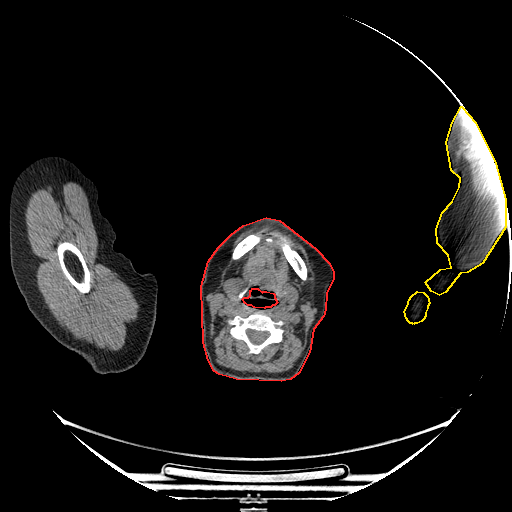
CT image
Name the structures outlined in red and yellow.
red: head and neck; yellow: left arm.
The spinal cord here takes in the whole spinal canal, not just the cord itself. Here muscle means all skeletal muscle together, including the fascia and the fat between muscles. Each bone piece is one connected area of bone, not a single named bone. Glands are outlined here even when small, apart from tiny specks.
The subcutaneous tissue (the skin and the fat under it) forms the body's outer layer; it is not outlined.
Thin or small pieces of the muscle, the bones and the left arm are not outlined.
{"head_and_neck":[{"outer":[[266,217],[279,220],[315,248],[329,263],[333,272],[333,278],[326,293],[325,309],[323,316],[313,329],[309,352],[298,373],[290,379],[281,381],[236,379],[219,374],[214,371],[208,360],[203,342],[201,286],[208,261],[218,247],[231,234],[243,225]],"hole":[[252,288],[257,288],[262,292],[263,291],[266,291],[273,293],[274,294],[274,297],[277,302],[274,305],[272,305],[270,307],[265,307],[264,308],[254,307],[251,305],[248,305],[245,303],[242,299],[244,297],[248,297],[250,295],[250,290],[251,290]]}],"left_arm":[[[461,106],[475,122],[495,163],[505,199],[505,227],[482,263],[467,272],[460,273],[445,292],[439,295],[431,291],[425,282],[440,269],[451,267],[448,255],[437,243],[436,229],[442,212],[452,201],[459,187],[460,178],[451,170],[446,142],[452,122]],[[417,291],[423,292],[427,296],[429,303],[427,306],[427,308],[425,312],[425,316],[423,319],[421,321],[417,323],[414,323],[413,324],[412,323],[410,323],[408,321],[406,318],[404,311],[408,304],[408,301],[409,299],[411,296]]],"muscle":[{"outer":[[66,179],[78,182],[85,190],[98,236],[99,253],[105,264],[118,273],[131,288],[139,303],[138,317],[127,326],[125,343],[118,350],[98,348],[75,339],[66,332],[46,307],[37,286],[38,260],[27,239],[24,219],[26,202],[36,186],[58,183]],"hole":[[61,241],[68,241],[73,243],[79,249],[80,252],[82,254],[85,263],[88,269],[90,271],[90,276],[91,277],[90,290],[87,293],[81,293],[79,292],[78,290],[70,283],[63,273],[61,269],[61,266],[57,254],[57,245],[58,243]]},{"outer":[[263,225],[270,225],[284,231],[290,234],[296,241],[301,244],[313,262],[316,274],[315,305],[317,307],[317,312],[308,332],[306,346],[301,356],[295,363],[295,365],[291,369],[280,373],[248,372],[247,371],[243,372],[232,370],[219,365],[215,361],[213,346],[209,335],[210,334],[210,314],[206,296],[212,290],[216,282],[219,269],[226,258],[228,250],[234,240],[241,233],[252,227],[260,227]],"holes":[[[257,310],[262,310],[274,321],[281,320],[284,323],[282,326],[284,331],[280,342],[268,344],[258,354],[250,354],[248,353],[249,349],[247,344],[243,340],[236,339],[230,334],[230,329],[232,326],[228,323],[228,320],[236,315],[246,317]],[[231,277],[234,278],[235,277],[239,277],[241,278],[242,280],[242,286],[239,291],[240,292],[243,289],[247,288],[247,291],[243,296],[244,297],[248,297],[250,295],[250,290],[252,288],[257,288],[262,292],[266,291],[273,293],[277,302],[270,307],[260,308],[248,305],[241,299],[239,299],[238,298],[239,294],[238,292],[232,297],[230,297],[224,291],[222,286],[222,282],[227,278]],[[278,236],[282,236],[284,237],[288,242],[289,245],[300,255],[304,261],[306,268],[307,269],[307,278],[305,280],[302,280],[298,276],[298,275],[294,271],[290,265],[289,262],[286,259],[282,251],[282,249],[279,243],[277,241],[279,238]],[[250,234],[257,234],[258,235],[260,235],[261,236],[261,239],[260,241],[258,243],[257,243],[251,249],[250,249],[246,253],[245,253],[238,259],[236,259],[235,260],[232,259],[231,258],[231,254],[232,253],[233,249],[239,242],[240,242],[246,236]],[[287,286],[294,286],[295,287],[295,288],[297,291],[297,294],[298,295],[298,298],[297,299],[297,300],[296,301],[296,302],[293,304],[291,304],[287,300],[287,298],[286,297],[286,296],[284,293],[284,288]]]},[[468,112],[475,122],[487,144],[487,146],[495,163],[497,172],[499,175],[499,178],[503,189],[504,196],[498,197],[491,201],[490,199],[485,195],[473,175],[473,172],[472,171],[472,157],[467,149],[467,146],[465,141],[465,131],[463,127]]],"submandibular_glands":[[[231,277],[233,277],[234,278],[235,277],[239,277],[241,278],[242,280],[242,286],[241,288],[239,290],[239,291],[232,297],[230,297],[226,293],[226,292],[224,291],[223,289],[223,287],[222,286],[222,282],[227,278],[230,278]],[[287,286],[294,286],[295,287],[295,288],[297,291],[297,294],[298,295],[298,298],[297,299],[297,300],[296,301],[296,302],[293,304],[291,304],[287,300],[287,298],[286,297],[286,296],[284,293],[284,288]]],"bones":[{"outer":[[257,310],[262,310],[274,321],[281,320],[284,323],[282,326],[284,331],[280,342],[268,344],[258,354],[250,354],[248,353],[249,349],[247,344],[243,340],[236,339],[230,334],[230,329],[232,326],[228,323],[228,320],[236,315],[246,317]],"hole":[[248,329],[251,329],[252,330],[255,330],[256,331],[261,331],[262,332],[265,331],[266,332],[268,332],[269,333],[269,334],[268,335],[268,336],[261,343],[259,343],[258,344],[256,344],[255,343],[253,343],[250,340],[250,339],[247,334],[247,330]]},[[61,241],[68,241],[73,243],[79,249],[80,252],[82,254],[85,263],[88,269],[90,271],[90,276],[91,277],[90,290],[87,293],[81,293],[79,292],[78,290],[70,283],[63,273],[61,269],[61,266],[57,254],[57,245],[58,243]],[[278,236],[282,236],[284,237],[288,242],[289,245],[300,255],[304,261],[306,268],[307,269],[307,278],[305,280],[302,280],[298,276],[298,275],[294,271],[290,265],[289,262],[286,259],[282,251],[282,249],[279,243],[277,241],[279,238]],[[250,234],[257,234],[258,235],[260,235],[261,236],[261,239],[260,241],[258,243],[257,243],[251,249],[250,249],[246,253],[245,253],[238,259],[236,259],[235,260],[232,259],[231,258],[231,254],[232,253],[233,249],[239,242],[240,242],[246,236]]],"right_arm":[[[44,156],[60,156],[71,161],[95,184],[100,211],[116,234],[114,250],[129,258],[139,273],[152,273],[157,280],[156,318],[147,349],[139,362],[125,371],[106,374],[93,371],[84,359],[61,345],[41,326],[16,285],[9,256],[10,192],[20,171]]],"spinal_cord":[[[248,329],[251,329],[252,330],[255,330],[256,331],[261,331],[262,332],[265,331],[266,332],[268,332],[269,333],[269,334],[268,335],[268,336],[261,343],[259,343],[258,344],[256,344],[255,343],[253,343],[250,340],[250,339],[247,334],[247,330]]]}